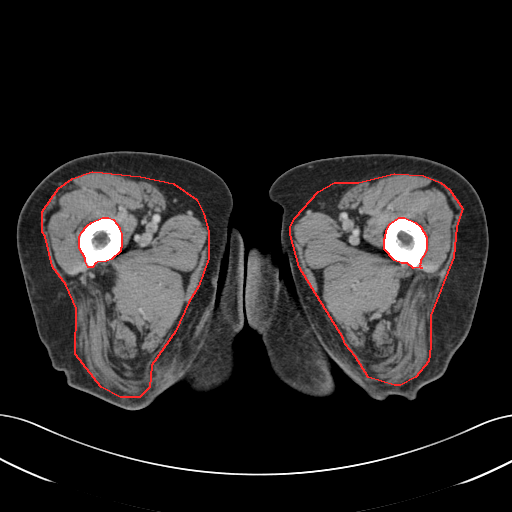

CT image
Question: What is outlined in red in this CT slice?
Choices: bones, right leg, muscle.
Answer: red: muscle.
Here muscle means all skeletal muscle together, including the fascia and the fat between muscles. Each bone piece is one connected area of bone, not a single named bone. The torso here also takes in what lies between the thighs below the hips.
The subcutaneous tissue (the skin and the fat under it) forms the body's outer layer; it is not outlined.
Outlines (x, y in pixels):
muscle 1: 92 171; 140 176; 173 183; 196 199; 203 213; 208 231; 208 258; 198 286; 188 302; 175 331; 151 365; 149 387; 139 397; 120 397; 101 387; 75 354; 76 308; 66 285; 52 266; 45 236; 42 232; 42 211; 58 188; 72 178 with a hole at 102 217; 108 217; 113 219; 119 227; 119 229; 121 233; 121 247; 120 248; 120 251; 111 259; 106 261; 97 262; 95 263; 92 267; 88 267; 85 261; 85 258; 79 248; 79 237; 81 232; 87 225; 91 222
muscle 2: 394 173; 423 175; 440 182; 449 189; 462 208; 456 226; 453 257; 430 315; 430 346; 428 361; 415 377; 400 385; 394 385; 368 377; 355 356; 345 344; 343 338; 299 267; 290 234; 290 226; 295 217; 318 191; 334 182; 358 182; inner edge: 399 217; 404 217; 415 222; 420 226; 426 236; 426 249; 423 256; 420 260; 420 263; 419 264; 420 265; 419 266; 421 267; 421 268; 420 267; 413 268; 407 263; 401 263; 394 260; 384 249; 384 238; 385 237; 386 230; 390 223
torso: 231 226; 237 228; 243 238; 245 263; 252 246; 271 250; 279 275; 293 289; 315 338; 331 361; 335 383; 331 395; 309 396; 280 381; 270 367; 260 335; 246 319; 233 341; 235 368; 229 381; 206 393; 192 390; 185 381; 222 288
bones 1: 399 217; 404 217; 415 222; 420 226; 426 236; 426 249; 423 256; 420 260; 420 263; 419 264; 420 265; 419 266; 421 267; 421 268; 420 267; 413 268; 407 263; 401 263; 394 260; 384 249; 384 238; 385 237; 386 230; 390 223
bones 2: 102 217; 108 217; 113 219; 119 227; 119 229; 121 233; 121 247; 120 248; 120 251; 111 259; 106 261; 97 262; 95 263; 92 267; 88 267; 85 261; 85 258; 79 248; 79 237; 81 232; 87 225; 91 222
left leg: 369 153; 414 155; 455 169; 476 190; 487 221; 488 257; 469 333; 453 355; 444 374; 424 385; 413 399; 395 394; 384 399; 368 395; 324 352; 293 288; 288 260; 281 251; 283 208; 273 201; 268 193; 276 178; 296 165; 321 158
right leg: 119 150; 161 153; 199 163; 224 180; 233 200; 218 277; 217 295; 196 357; 184 380; 164 390; 148 405; 132 410; 113 405; 69 386; 64 373; 52 367; 46 348; 37 333; 16 247; 16 225; 20 210; 30 193; 46 175; 71 159